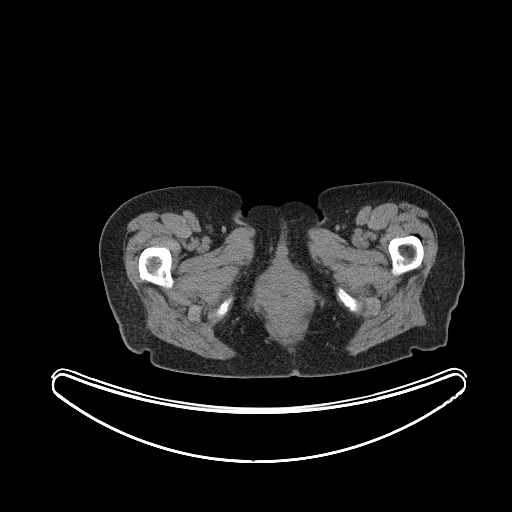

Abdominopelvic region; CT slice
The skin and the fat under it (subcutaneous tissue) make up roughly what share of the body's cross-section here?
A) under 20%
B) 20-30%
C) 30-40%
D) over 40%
Answer: D) over 40%
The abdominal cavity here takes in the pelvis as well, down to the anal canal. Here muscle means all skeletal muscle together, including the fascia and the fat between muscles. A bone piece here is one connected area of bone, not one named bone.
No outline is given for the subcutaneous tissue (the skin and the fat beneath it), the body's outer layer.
The torso is outlined by 379,180 431,191 459,221 464,284 444,346 341,375 227,378 156,367 147,352 135,353 123,342 107,301 98,243 106,220 127,199 168,186 216,185 239,193 245,213 258,203 291,199 313,206 327,188. The muscle appears in 3 outlined pieces: piece 1: 161,207 190,210 208,232 218,237 225,237 239,227 254,229 255,251 252,261 247,268 247,274 239,283 230,314 217,333 240,355 229,359 206,358 170,344 146,329 143,304 126,275 123,243 126,227 131,219; inner edges: 151,246 162,246 163,247 166,247 170,251 171,254 171,274 173,278 173,284 171,288 164,288 156,284 151,283 146,280 143,280 141,279 139,275 139,271 138,270 138,260 139,259 140,253 145,248, then 230,296 231,296 233,299 232,302 230,304 230,305 229,306 227,311 225,313 225,314 224,315 223,315 221,317 219,317 217,315 216,315 216,311 217,310 218,307 220,305 220,304 225,299 228,298; piece 2: 378,201 405,201 414,204 428,212 435,228 438,243 436,259 421,294 426,324 349,355 343,348 354,332 352,319 335,300 332,287 309,253 307,242 310,231 316,228 325,228 339,235 346,232 362,206; inner edges: 408,235 415,235 420,239 420,241 423,246 423,249 424,250 423,258 422,259 421,264 418,267 396,276 391,272 392,262 391,261 390,254 388,250 388,244 390,240 394,237 401,237 402,236 407,236, then 338,287 340,287 342,288 348,294 349,294 356,300 357,302 357,305 358,306 358,308 357,310 355,311 351,311 349,309 349,308 345,305 344,305 344,304 339,299 339,298 336,294 336,288; piece 3: 277,260 288,261 297,269 304,272 311,281 313,288 324,298 322,303 319,301 316,302 307,332 303,339 294,345 290,351 269,337 264,326 264,319 252,307 247,308 244,306 248,301 248,297 252,294 256,278, around a hole outlined by 281,272 288,272 290,274 293,274 295,276 297,276 298,278 300,278 312,296 311,306 303,320 303,325 301,331 299,335 293,339 284,339 276,335 272,330 266,316 258,305 258,292 260,289 260,286 264,280. The bones appear in 4 outlined pieces: piece 1: 151,246 162,246 163,247 166,247 170,251 171,254 171,274 173,278 173,284 171,288 164,288 156,284 151,283 146,280 143,280 141,279 139,275 139,271 138,270 138,260 139,259 140,253 145,248; piece 2: 408,235 415,235 420,239 420,241 423,246 423,249 424,250 423,258 422,259 421,264 418,267 396,276 391,272 392,262 391,261 390,254 388,250 388,244 390,240 394,237 401,237 402,236 407,236; piece 3: 338,287 340,287 342,288 348,294 349,294 356,300 357,302 357,305 358,306 358,308 357,310 355,311 351,311 349,309 349,308 345,305 344,305 344,304 339,299 339,298 336,294 336,288; piece 4: 230,296 231,296 233,299 232,302 230,304 230,305 229,306 227,311 225,313 225,314 224,315 223,315 221,317 219,317 217,315 216,315 216,311 217,310 218,307 220,305 220,304 225,299 228,298. The abdominal cavity is outlined by 281,272 288,272 290,274 293,274 295,276 297,276 298,278 300,278 312,296 311,306 303,320 303,325 301,331 299,335 293,339 284,339 276,335 272,330 266,316 258,305 258,292 260,289 260,286 264,280.